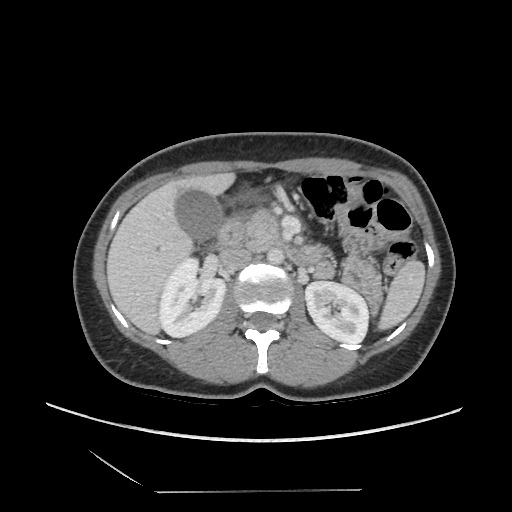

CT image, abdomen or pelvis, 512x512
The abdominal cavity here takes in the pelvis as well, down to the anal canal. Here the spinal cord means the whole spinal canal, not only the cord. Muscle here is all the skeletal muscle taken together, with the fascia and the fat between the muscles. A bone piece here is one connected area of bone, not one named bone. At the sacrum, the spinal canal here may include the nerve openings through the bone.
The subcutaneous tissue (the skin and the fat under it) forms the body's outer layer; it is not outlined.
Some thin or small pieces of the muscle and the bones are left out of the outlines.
Outlines (x, y in pixels):
torso: 272 131; 325 132; 369 141; 403 157; 424 179; 448 231; 456 268; 449 309; 427 355; 407 379; 389 389; 318 402; 287 399; 262 387; 229 399; 184 396; 116 378; 90 350; 73 293; 74 255; 93 210; 122 174; 158 150; 206 135
muscle: 303 157; 344 158; 366 165; 395 169; 406 175; 417 188; 426 206; 433 227; 441 259; 441 268; 440 277; 426 309; 415 328; 406 339; 394 347; 373 356; 332 381; 310 388; 301 388; 285 385; 265 375; 259 375; 239 383; 221 384; 208 382; 174 368; 151 350; 122 335; 111 320; 95 285; 92 277; 92 262; 94 246; 102 224; 114 203; 130 186; 153 174; 194 162; 210 160; 277 162; inner edge: 267 168; 371 177; 396 192; 434 256; 419 301; 404 328; 388 341; 381 337; 347 349; 308 319; 303 289; 293 284; 291 304; 281 315; 280 336; 267 348; 268 371; 260 374; 256 371; 256 344; 244 335; 245 313; 235 296; 234 279; 228 284; 216 319; 191 335; 162 344; 129 322; 128 328; 123 326; 110 306; 105 271; 106 252; 114 233; 109 226; 116 211; 119 221; 151 190; 171 181
abdominal cavity: 267 168; 371 177; 396 192; 418 226; 427 260; 423 291; 409 316; 371 343; 339 345; 308 319; 303 289; 283 268; 260 261; 238 273; 228 284; 216 319; 191 335; 155 337; 130 323; 112 301; 105 271; 108 245; 121 217; 168 182
spinal cord: 257 311; 266 312; 267 313; 270 313; 271 314; 276 315; 277 317; 277 322; 275 324; 274 327; 272 328; 269 328; 265 331; 259 331; 257 329; 254 328; 252 326; 252 324; 249 318; 250 317; 250 315; 252 313; 254 312; 256 312
bones 1: 260 262; 283 269; 293 286; 291 304; 281 315; 283 328; 280 330; 280 336; 273 340; 267 348; 268 371; 263 374; 256 371; 257 347; 251 339; 244 335; 246 328; 242 326; 242 323; 245 313; 240 308; 234 291; 239 273; 249 264 with a hole at 257 311; 266 312; 267 313; 270 313; 271 314; 276 315; 277 317; 277 322; 275 324; 274 327; 272 328; 269 328; 265 331; 259 331; 257 329; 254 328; 252 326; 252 324; 249 318; 250 317; 250 315; 252 313; 254 312; 256 312
bones 2: 424 241; 426 241; 430 245; 430 246; 431 247; 431 248; 433 251; 433 255; 434 256; 434 264; 433 265; 433 266; 431 268; 429 268; 429 267; 428 266; 428 260; 427 259; 427 256; 426 255; 426 252; 425 251; 425 248; 424 247
bones 3: 112 302; 113 302; 113 303; 115 305; 117 309; 122 314; 122 315; 128 322; 128 324; 129 325; 128 328; 126 328; 124 326; 123 326; 123 325; 115 316; 110 306; 110 304
bones 4: 404 321; 405 321; 406 323; 404 328; 397 335; 393 337; 390 340; 388 341; 386 341; 385 340; 385 338; 388 335; 389 335; 398 326; 399 326; 400 324; 402 323; 402 322